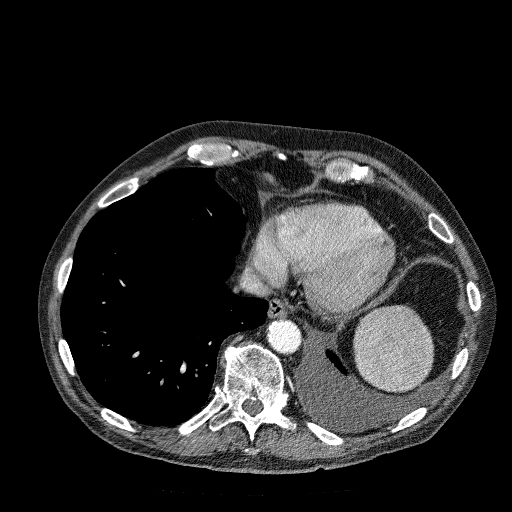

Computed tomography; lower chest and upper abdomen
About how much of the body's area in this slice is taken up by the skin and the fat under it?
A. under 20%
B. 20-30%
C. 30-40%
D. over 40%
A. under 20%
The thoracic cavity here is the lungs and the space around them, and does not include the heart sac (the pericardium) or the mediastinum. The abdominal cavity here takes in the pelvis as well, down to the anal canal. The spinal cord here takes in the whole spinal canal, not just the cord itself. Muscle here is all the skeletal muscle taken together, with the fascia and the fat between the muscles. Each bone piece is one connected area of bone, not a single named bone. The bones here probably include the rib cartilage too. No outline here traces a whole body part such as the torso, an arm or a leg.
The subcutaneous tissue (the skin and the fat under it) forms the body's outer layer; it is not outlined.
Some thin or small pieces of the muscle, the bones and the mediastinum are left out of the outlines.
The bones appear in 12 outlined pieces: piece 1: 233,341 234,345 260,344 279,358 288,376 289,392 288,404 282,412 296,423 293,431 262,423 252,442 239,421 217,430 211,430 206,421 187,435 178,433 176,427 198,413 214,395 214,387 222,385 221,352; inner edge: 247,399 249,399 250,400 252,400 253,401 254,401 255,400 258,400 261,403 261,404 262,405 262,408 261,409 261,410 259,412 256,413 254,415 251,415 247,412 246,412 243,409 243,403 244,402 244,401; piece 2: 193,143 225,143 230,145 233,148 236,149 240,154 236,157 232,158 230,160 224,163 221,163 220,164 218,164 217,165 213,165 212,166 207,166 206,165 201,164 197,161 190,161 187,159 186,151 188,147; piece 3: 338,158 342,158 348,161 355,162 360,165 368,165 370,166 374,171 374,181 373,182 365,182 362,180 360,181 355,181 351,179 344,182 336,182 322,176 322,174 324,172 324,168 326,163 331,160 337,159; piece 4: 133,176 137,176 139,178 139,183 140,184 140,186 133,193 119,200 117,200 111,203 106,207 104,207 100,209 97,206 96,203 99,200 99,199 111,188 112,188 116,184 119,183 121,181 123,180 125,180; piece 5: 430,212 434,212 438,215 439,215 445,221 445,222 447,224 453,236 453,238 454,239 453,242 451,244 447,244 443,242 441,240 440,240 427,227 426,225 426,218 427,217 427,215 428,213; piece 6: 305,420 308,420 309,421 311,421 315,424 316,424 317,425 324,428 326,430 341,436 344,439 344,442 340,445 332,445 331,444 327,444 325,442 324,442 320,439 319,439 306,426 306,425 305,424; piece 7: 102,406 106,407 112,410 114,412 127,418 129,420 130,423 136,429 136,431 135,432 132,432 131,431 129,431 128,430 120,428 108,422 105,419 104,419 100,414 100,412 99,411 99,408 100,408; piece 8: 422,406 425,406 427,407 428,409 425,415 421,419 420,419 415,423 403,429 398,430 395,432 391,432 388,429 388,427 389,426 394,426 396,424 396,423 404,416 410,413 412,411 417,409 419,407 421,407; piece 9: 60,337 63,337 65,339 68,345 68,347 70,350 70,352 71,353 71,355 73,359 73,362 74,363 75,370 77,373 77,375 75,376 72,376 68,372 59,354 59,352 58,351 58,346 57,345 57,342; piece 10: 469,280 471,280 473,281 476,284 479,290 479,294 480,295 480,299 481,300 481,305 480,306 480,308 477,312 474,312 472,311 470,309 468,305 468,301 467,300 467,296 466,295 466,283; piece 11: 69,256 72,256 72,264 71,265 71,269 70,270 70,273 69,274 69,276 67,280 67,283 65,286 64,291 62,294 60,294 58,292 58,288 57,287 57,276 58,275 58,271 62,262 67,257; piece 12: 464,346 466,346 468,348 468,358 467,359 467,362 465,366 463,368 463,369 460,372 460,373 454,379 451,379 450,378 450,374 451,373 451,366 452,365 452,363 454,360 454,358 456,354 462,348 462,347. The abdominal cavity appears in 2 outlined pieces: piece 1: 418,255 432,255 445,259 457,268 465,281 467,316 463,330 462,345 455,354 451,365 439,377 432,379 421,389 405,396 378,393 364,387 348,375 333,344 333,333 339,322 375,298 392,281 402,269 402,266; piece 2: 265,151 275,151 273,154 281,161 285,162 288,157 292,157 301,160 315,169 323,177 319,182 319,187 322,189 308,191 295,196 274,196 269,198 263,205 261,205 256,193 255,182 234,162 249,159 258,153. The mediastinum appears in 2 outlined pieces: piece 1: 229,163 254,182 261,206 290,197 257,226 252,268 305,316 338,322 332,333 313,325 304,330 302,357 289,376 260,343 222,346 232,334 260,326 268,310 265,299 238,295 226,284 247,222 216,180 213,166; piece 2: 323,178 336,183 344,183 351,180 355,182 377,183 397,194 419,216 426,227 449,248 462,270 463,277 455,265 438,255 418,254 404,263 404,238 390,219 355,197 330,190 316,190 323,189 320,187 320,182. The spinal cord is outlined by 247,399 249,399 250,400 252,400 253,401 254,401 255,400 258,400 261,403 261,404 262,405 262,408 261,409 261,410 259,412 256,413 254,415 251,415 247,412 246,412 243,409 243,403 244,402 244,401. The muscle is outlined by 205,136 223,136 237,139 247,139 273,144 289,149 305,149 306,150 310,149 311,150 327,150 328,151 329,150 351,150 367,154 380,160 393,169 410,186 432,204 445,218 464,244 468,254 476,268 479,276 479,282 481,284 482,290 485,293 485,304 487,306 487,308 484,313 483,330 480,336 478,349 472,366 470,376 460,393 437,418 406,435 401,436 388,442 372,446 364,450 360,450 354,454 349,454 337,458 317,458 306,460 290,460 289,459 283,459 273,455 259,454 251,456 250,455 244,455 239,452 236,453 225,452 205,456 186,456 174,454 149,447 141,443 132,441 112,430 107,430 106,427 101,422 83,410 72,400 64,389 63,385 57,375 49,350 49,327 47,318 47,309 49,297 52,291 53,272 58,259 79,220 93,200 100,193 116,181 132,173 135,170 152,163 158,158 167,155 179,145 190,140 with holes at 193,143 230,145 240,154 225,164 280,151 320,174 326,163 338,158 368,165 374,171 373,182 397,194 425,224 430,212 445,221 454,239 446,245 465,282 476,284 481,305 477,312 467,306 461,346 468,348 465,366 454,379 448,376 421,419 395,432 386,427 342,435 344,442 332,445 306,426 308,418 290,393 282,412 296,423 295,429 262,423 252,442 239,421 217,430 206,421 180,435 176,425 130,419 136,429 132,432 101,416 102,405 78,374 68,372 58,351 57,342 64,336 59,268 74,254 103,195 130,177 137,176 141,186 189,162 186,151 and at 247,447 252,447 253,448 258,448 259,449 259,451 257,453 256,453 255,454 250,454 249,453 248,453 247,452 245,452 244,451 244,450. The thoracic cavity appears in 2 outlined pieces: piece 1: 177,166 212,167 216,182 240,204 246,222 225,284 238,296 265,300 267,310 260,325 223,340 222,383 213,387 213,395 198,412 177,425 148,425 102,405 88,391 63,335 61,304 76,244 91,218; piece 2: 309,326 313,326 318,332 325,331 333,335 332,344 347,375 372,392 405,397 421,390 449,368 450,373 442,389 426,405 412,410 393,424 373,432 340,435 308,419 287,388 287,379 302,360 303,338 305,330. The pericardium is outlined by 316,191 330,191 349,196 372,207 386,216 397,228 403,238 404,244 404,257 401,269 391,281 370,301 345,316 340,321 334,323 313,319 296,309 266,282 253,268 250,262 255,233 263,218 291,197.